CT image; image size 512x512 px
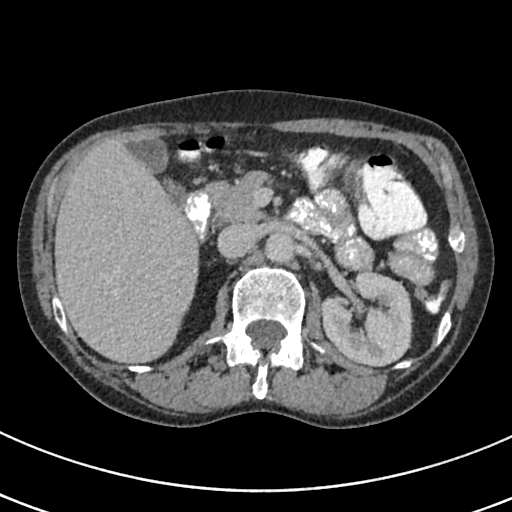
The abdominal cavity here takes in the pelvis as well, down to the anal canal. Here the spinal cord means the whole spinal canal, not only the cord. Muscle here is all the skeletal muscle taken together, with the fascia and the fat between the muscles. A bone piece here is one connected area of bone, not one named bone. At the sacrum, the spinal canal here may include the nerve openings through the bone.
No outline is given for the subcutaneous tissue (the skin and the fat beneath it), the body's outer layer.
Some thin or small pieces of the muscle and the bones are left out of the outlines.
The muscle is outlined by 318 117; 344 118; 371 121; 384 126; 396 128; 404 131; 417 132; 421 134; 431 135; 440 139; 451 153; 459 172; 459 175; 471 208; 471 212; 476 228; 478 241; 478 269; 477 273; 474 277; 474 284; 471 294; 462 311; 462 322; 457 339; 451 348; 450 352; 444 358; 443 361; 421 381; 393 400; 377 409; 365 414; 356 417; 342 419; 314 417; 298 410; 293 410; 282 405; 279 405; 274 402; 265 402; 260 400; 242 402; 240 404; 234 405; 229 408; 221 409; 201 417; 172 415; 155 410; 127 397; 124 394; 113 388; 97 381; 78 366; 70 354; 68 353; 66 347; 57 337; 53 326; 42 310; 38 299; 35 283; 33 279; 34 276; 32 271; 33 255; 31 249; 31 237; 32 236; 32 223; 34 217; 34 212; 36 208; 37 197; 46 175; 55 162; 70 148; 88 136; 103 130; 114 129; 121 126; 126 126; 131 124; 139 124; 147 122; 195 122; 213 120; 214 121; 245 121; 246 122; 258 121; 270 123; 282 120; 317 118; inner edges: 252 126; 390 140; 427 166; 443 190; 449 225; 459 223; 465 235; 463 251; 453 252; 451 327; 439 345; 435 336; 402 369; 354 363; 324 337; 320 295; 311 281; 303 289; 303 364; 269 367; 267 392; 258 399; 252 392; 257 368; 229 366; 221 341; 204 343; 231 328; 227 281; 207 329; 149 371; 104 361; 68 324; 69 335; 61 330; 51 301; 52 230; 60 198; 86 152; 109 138, then 442 160; 443 160; 448 165; 448 167; 449 168; 449 170; 450 171; 450 173; 451 174; 451 187; 450 188; 449 188; 444 183; 444 181; 443 180; 443 175; 442 174; 442 172; 441 171; 441 170; 440 169; 440 163; 441 162; 441 161, then 308 341; 313 341; 314 342; 315 342; 316 343; 319 344; 321 346; 324 347; 326 349; 326 351; 324 353; 321 353; 320 352; 317 351; 315 349; 314 349; 309 345; 309 344; 308 343, then 52 187; 53 188; 53 192; 52 193; 52 202; 51 203; 51 207; 50 208; 50 210; 49 211; 49 212; 48 211; 48 205; 47 204; 47 199; 48 198; 48 196; 49 195; 49 194; 50 193; 50 190; 51 189; 51 188. The bones appear in 4 outlined pieces: piece 1: 263 266; 292 272; 304 290; 306 305; 301 325; 304 343; 301 368; 295 370; 281 365; 269 367; 267 392; 263 399; 258 399; 252 392; 257 368; 246 363; 229 366; 226 347; 221 341; 204 342; 231 328; 231 299; 235 283; 249 270; inner edge: 263 319; 264 320; 272 320; 273 321; 276 321; 280 323; 286 330; 285 335; 279 341; 279 346; 277 349; 266 350; 265 349; 260 349; 259 348; 254 347; 252 344; 252 338; 247 334; 246 332; 246 328; 248 324; 253 321; 262 320; piece 2: 457 222; 459 223; 460 228; 463 231; 465 235; 465 245; 464 246; 464 249; 463 251; 460 253; 456 253; 452 249; 448 241; 448 234; 449 233; 449 229; 450 228; 450 226; 452 225; 454 225; piece 3: 54 294; 56 294; 59 298; 60 302; 61 303; 61 305; 63 308; 63 311; 65 314; 66 323; 69 329; 69 335; 65 334; 61 330; 61 329; 57 324; 54 318; 53 307; 52 306; 52 302; 51 301; 52 300; 52 297; piece 4: 447 308; 448 308; 450 311; 450 318; 451 319; 451 327; 449 331; 443 339; 443 340; 440 343; 440 344; 437 346; 434 346; 434 342; 436 339; 436 334; 437 333; 437 329; 440 323; 440 320; 444 313; 444 311. The abdominal cavity is outlined by 252 126; 390 140; 427 166; 443 190; 456 278; 421 354; 385 369; 350 361; 324 337; 314 283; 304 288; 292 271; 268 265; 246 271; 230 299; 225 281; 207 329; 164 362; 111 363; 75 337; 51 243; 60 198; 86 152; 109 138. The spinal cord is outlined by 263 319; 264 320; 272 320; 273 321; 276 321; 280 323; 286 330; 285 335; 279 341; 279 346; 277 349; 266 350; 265 349; 260 349; 259 348; 254 347; 252 344; 252 338; 247 334; 246 332; 246 328; 248 324; 253 321; 262 320. The torso is outlined by 243 88; 351 98; 414 113; 445 128; 466 158; 494 243; 488 302; 473 339; 450 373; 397 417; 344 429; 322 428; 270 412; 195 427; 154 424; 114 411; 92 397; 30 329; 18 288; 17 228; 29 184; 47 154; 99 115; 158 100.